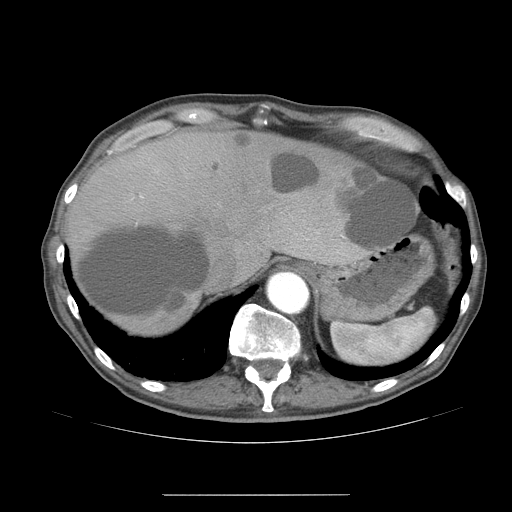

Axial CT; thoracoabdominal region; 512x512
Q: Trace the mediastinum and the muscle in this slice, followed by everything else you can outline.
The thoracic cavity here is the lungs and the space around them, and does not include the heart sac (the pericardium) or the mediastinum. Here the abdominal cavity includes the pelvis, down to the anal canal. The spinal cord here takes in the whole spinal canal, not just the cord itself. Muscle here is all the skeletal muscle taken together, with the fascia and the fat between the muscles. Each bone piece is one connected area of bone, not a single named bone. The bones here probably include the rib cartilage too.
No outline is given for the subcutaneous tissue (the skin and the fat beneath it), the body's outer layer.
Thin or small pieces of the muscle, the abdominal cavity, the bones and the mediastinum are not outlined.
A: Outlines:
mediastinum: 284,270 292,272 301,277 309,285 313,292 314,313 312,316 312,324 314,330 314,338 317,345 315,347 311,347 306,351 302,341 301,331 291,319 280,312 264,307 256,302 245,302 257,288 258,285 254,283
muscle 1: 64,191 63,201 69,207 63,242 57,245 55,258 62,264 69,291 65,297 68,309 83,322 96,344 92,349 99,361 113,371 115,362 127,372 145,378 138,382 143,388 160,393 167,388 163,382 187,382 212,375 229,355 244,359 247,363 243,375 261,392 261,410 265,412 248,407 204,410 164,402 126,386 96,363 61,318 51,284 47,245
muscle 2: 466,191 481,252 479,282 468,317 443,362 432,372 378,397 325,408 295,407 273,411 274,391 291,377 290,360 300,355 304,361 308,361 307,351 327,372 338,378 352,381 381,380 370,387 371,392 382,392 393,387 399,381 395,376 424,360 423,366 426,367 440,355 446,345 444,340 470,304 470,295 466,290 472,265 478,257 464,211 467,205
muscle 3: 264,101 272,102 306,113 360,112 372,114 383,117 393,123 381,118 349,115 344,117 341,121 341,125 344,129 325,125 296,125 277,120 269,120 266,117 262,117 261,115 271,109 270,105 265,102 261,102 259,104 256,110 257,115 250,120 242,120 230,117 214,120 217,119 219,115 212,109 204,107 184,107 174,114 174,118 177,121 183,123 180,123 179,125 175,125 174,122 169,118 160,117 138,124 119,135 105,150 106,155 93,166 81,183 79,185 76,182 73,182 66,188 70,181 87,161 97,145 103,139 147,113 170,104 185,102 246,104
muscle 4: 394,124 403,126 409,129 421,138 434,152 443,167 449,174 455,178 461,184 459,183 451,183 448,180 443,181 436,172 436,170 434,168 432,162 422,154 417,154 415,153 420,149 422,145 420,141 406,130
bones 1: 245,303 256,303 291,320 300,331 301,341 308,355 306,361 300,354 289,360 291,374 288,380 279,384 273,391 272,411 262,410 264,402 262,392 244,375 248,362 244,358 232,356 228,352 233,319 239,308 with a hole at 270,358 271,359 275,359 276,360 280,360 281,361 282,361 282,365 273,377 270,377 269,378 268,378 267,377 262,377 260,375 259,372 255,368 255,367 253,365 253,362 255,360 259,360 260,359 269,359
bones 2: 349,116 368,117 374,119 381,119 384,121 389,122 412,135 419,141 421,145 417,151 415,152 408,152 400,148 389,145 382,141 373,138 363,137 359,135 355,131 351,131 344,128 342,125 342,121 344,118
bones 3: 160,118 166,118 171,120 173,122 174,125 173,127 162,133 158,133 155,135 152,135 140,139 138,141 136,141 128,147 122,150 116,151 111,154 107,154 106,150 110,147 112,143 119,136 128,130 138,125
bones 4: 184,108 204,108 205,109 212,110 214,111 218,115 218,117 214,119 212,121 210,121 209,122 206,122 205,123 187,123 186,122 182,122 181,121 179,121 177,120 175,118 175,114 178,111
bones 5: 445,181 448,181 451,184 459,184 463,187 465,191 465,195 466,196 466,205 465,206 465,209 463,209 459,205 459,204 451,196 450,196 450,195 447,192 446,190 446,188 445,187 445,185 444,184 444,182
bones 6: 144,379 148,379 149,380 154,380 155,381 159,381 160,382 162,382 165,385 166,385 166,388 163,391 161,391 160,392 157,392 156,391 151,391 148,389 146,389 139,383 139,382 141,380 143,380
bones 7: 390,377 395,377 398,380 398,381 393,386 392,386 391,387 390,387 385,390 383,390 382,391 371,391 370,390 371,387 374,384 375,384 376,383 377,383 378,382 379,382 380,381 381,381 386,378 389,378
bones 8: 96,345 97,346 98,346 108,356 109,356 110,357 110,358 113,361 113,364 115,367 115,369 114,370 109,368 103,363 102,363 100,361 100,360 96,356 96,355 94,352 94,350 93,349 93,347
bones 9: 261,103 265,103 269,105 270,107 270,109 269,110 266,110 264,112 264,113 260,115 260,116 262,118 266,118 268,120 268,123 266,125 256,125 254,124 252,121 252,119 254,117 258,115 258,112 257,110
bones 10: 69,292 71,294 74,300 76,302 76,304 78,308 78,311 81,317 81,320 80,321 74,317 74,316 70,311 69,309 69,307 67,304 67,300 66,299 66,297 67,296 67,294
bones 11: 443,341 444,341 444,342 445,343 445,345 444,346 443,349 439,354 439,355 434,360 433,360 429,364 428,364 426,366 424,366 424,363 425,362 425,360 428,357 428,356 433,351 433,350 440,343 441,343
bones 12: 73,183 76,183 78,185 78,186 77,187 77,190 76,191 76,192 75,193 75,195 74,196 74,197 73,198 73,199 69,203 66,203 64,201 64,195 65,194 65,191 66,190 66,189 70,185 71,185
bones 13: 466,291 468,293 468,294 469,295 469,304 468,305 468,306 467,307 466,310 464,312 464,313 460,317 458,317 458,315 459,314 459,310 460,309 460,302 461,301 461,299 462,298 462,297 463,296 464,293
torso: 198,92 268,93 303,103 354,105 388,113 423,133 467,183 487,253 484,295 476,317 437,377 391,400 354,412 310,420 238,423 179,416 135,401 87,362 54,319 43,287 40,246 57,191 103,128 155,100
abdominal cavity: 227,118 347,130 431,162 435,183 459,220 463,270 445,319 417,352 385,366 349,365 326,355 315,338 314,292 286,269 217,300 161,338 129,336 88,303 64,244 66,216 80,184 102,158 140,140 180,124
spinal cord: 270,358 271,359 275,359 276,360 280,360 281,361 282,361 282,365 273,377 270,377 269,378 268,378 267,377 262,377 260,375 259,372 255,368 255,367 253,365 253,362 255,360 259,360 260,359 269,359
thoracic cavity 1: 65,246 68,250 71,276 81,295 104,320 129,337 161,339 171,336 217,301 235,296 252,286 256,286 232,319 225,363 220,369 206,377 187,381 149,379 124,369 97,345 82,320 77,302 69,290 64,274
thoracic cavity 2: 436,175 442,180 449,196 463,210 470,238 471,273 451,330 425,359 394,376 352,380 330,373 312,357 308,351 311,348 317,347 331,359 349,366 385,367 417,353 446,319 463,275 463,242 460,220 438,187